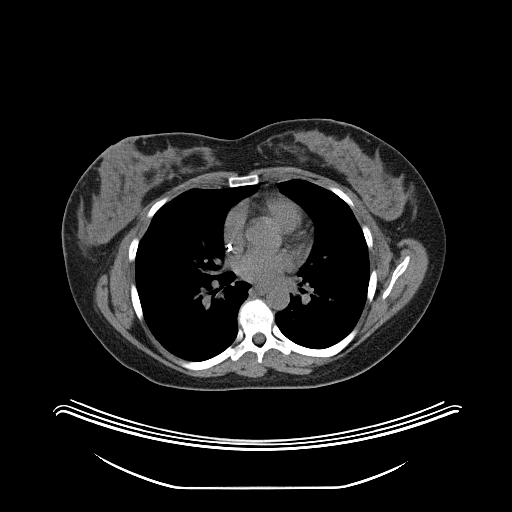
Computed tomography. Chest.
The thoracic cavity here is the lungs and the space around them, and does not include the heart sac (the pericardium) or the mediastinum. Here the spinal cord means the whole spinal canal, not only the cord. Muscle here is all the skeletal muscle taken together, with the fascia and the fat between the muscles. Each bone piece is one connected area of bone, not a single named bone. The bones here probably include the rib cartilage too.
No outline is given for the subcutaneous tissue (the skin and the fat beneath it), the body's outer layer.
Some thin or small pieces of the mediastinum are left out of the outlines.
The spinal cord is outlined by (256, 333) (261, 333) (262, 334) (263, 334) (264, 335) (264, 336) (265, 337) (265, 339) (264, 340) (264, 341) (263, 342) (263, 344) (261, 346) (260, 346) (259, 345) (257, 345) (253, 341) (253, 336). The pericardium is outlined by (259, 189) (278, 190) (298, 204) (307, 214) (311, 221) (313, 228) (313, 239) (309, 253) (303, 263) (297, 268) (298, 272) (291, 278) (280, 279) (275, 281) (250, 281) (240, 277) (226, 263) (226, 250) (223, 237) (226, 216) (233, 206) (245, 198) (257, 193). The muscle is outlined by (277, 166) (304, 169) (350, 189) (390, 239) (392, 250) (396, 249) (397, 242) (408, 237) (417, 239) (424, 245) (429, 258) (428, 268) (419, 288) (404, 307) (344, 356) (307, 374) (291, 374) (270, 368) (259, 377) (234, 372) (211, 377) (185, 374) (142, 351) (111, 325) (96, 306) (95, 287) (100, 275) (113, 263) (121, 239) (135, 224) (142, 208) (190, 178) (213, 171) (233, 171) (239, 175) (228, 176) (227, 185) (193, 187) (171, 199) (164, 196) (148, 209) (146, 217) (150, 220) (144, 233) (140, 239) (133, 237) (127, 250) (128, 260) (134, 262) (134, 282) (129, 286) (129, 293) (136, 317) (140, 321) (144, 320) (164, 348) (180, 358) (174, 361) (178, 365) (192, 371) (208, 369) (228, 358) (236, 361) (246, 352) (254, 353) (260, 364) (264, 354) (270, 349) (284, 355) (294, 352) (323, 358) (342, 351) (355, 338) (358, 332) (355, 326) (366, 301) (370, 303) (373, 300) (377, 289) (377, 271) (375, 268) (370, 270) (369, 250) (374, 245) (371, 230) (364, 223) (360, 225) (352, 210) (354, 202) (337, 186) (324, 187) (303, 178) (261, 181) (258, 173) (249, 173) (254, 169) with a hole at (407, 255) (409, 256) (409, 262) (407, 265) (407, 267) (405, 269) (405, 270) (396, 279) (393, 284) (393, 286) (389, 294) (384, 299) (382, 299) (382, 294) (384, 290) (388, 286) (390, 282) (391, 276) (394, 269) (396, 267) (396, 266) (399, 263) (400, 263). The thoracic cavity appears in 2 outlined pieces: piece 1: (257, 184) (258, 188) (254, 193) (228, 210) (223, 223) (223, 263) (235, 274) (236, 280) (250, 285) (247, 297) (237, 312) (236, 335) (228, 346) (209, 358) (183, 359) (160, 343) (144, 319) (135, 283) (135, 260) (140, 240) (156, 212) (168, 201) (187, 190); piece 2: (289, 179) (303, 179) (317, 184) (345, 202) (361, 228) (368, 250) (370, 271) (361, 313) (354, 327) (344, 337) (323, 348) (308, 347) (293, 341) (275, 321) (275, 314) (290, 302) (292, 287) (300, 279) (298, 270) (310, 253) (315, 234) (308, 214) (282, 193) (277, 185). The mediastinum is outlined by (236, 274) (240, 278) (250, 282) (275, 282) (280, 280) (291, 279) (296, 275) (299, 279) (291, 287) (291, 292) (289, 294) (289, 302) (287, 306) (285, 308) (274, 313) (261, 298) (258, 297) (247, 298) (248, 297) (248, 291) (251, 285) (247, 281) (241, 279) (236, 279). The bones appear in 9 outlined pieces: piece 1: (255, 298) (268, 306) (280, 331) (301, 346) (323, 349) (355, 327) (357, 332) (342, 350) (331, 356) (294, 351) (284, 354) (270, 348) (260, 363) (254, 352) (246, 351) (236, 360) (228, 357) (205, 369) (188, 369) (175, 361) (203, 361) (222, 352) (237, 335) (241, 305) with a hole at (256, 333) (261, 333) (262, 334) (263, 334) (264, 335) (264, 336) (265, 337) (265, 339) (264, 340) (264, 341) (263, 342) (263, 344) (261, 346) (260, 346) (259, 345) (257, 345) (253, 341) (253, 336); piece 2: (254, 173) (256, 174) (258, 174) (260, 177) (260, 181) (256, 184) (250, 184) (249, 185) (242, 185) (241, 186) (234, 186) (233, 187) (228, 186) (227, 184) (227, 179) (228, 177) (230, 176) (242, 176) (243, 175) (247, 175) (248, 174) (253, 174); piece 3: (407, 255) (409, 256) (409, 262) (407, 265) (407, 267) (405, 269) (405, 270) (396, 279) (393, 284) (393, 286) (389, 294) (384, 299) (382, 299) (382, 294) (384, 290) (388, 286) (390, 282) (391, 276) (394, 269) (396, 267) (396, 266) (399, 263) (400, 263); piece 4: (132, 283) (134, 283) (135, 284) (135, 286) (137, 290) (137, 293) (138, 294) (139, 301) (141, 305) (141, 309) (143, 313) (143, 319) (142, 320) (140, 320) (137, 317) (136, 313) (134, 310) (133, 305) (132, 304) (132, 301) (131, 300) (131, 294) (130, 293) (130, 286); piece 5: (373, 269) (375, 269) (375, 270) (376, 271) (376, 275) (377, 276) (377, 283) (376, 284) (376, 289) (375, 290) (375, 292) (374, 293) (373, 298) (370, 302) (368, 302) (367, 301) (367, 290) (368, 289) (368, 285) (369, 284) (369, 278) (370, 277) (370, 272); piece 6: (329, 186) (334, 186) (342, 190) (351, 199) (351, 200) (354, 204) (354, 206) (352, 208) (351, 208) (348, 205) (348, 204) (339, 196) (338, 196) (335, 193) (334, 193) (332, 191) (328, 189) (327, 187); piece 7: (135, 237) (137, 237) (139, 239) (139, 242) (138, 243) (138, 245) (137, 246) (137, 249) (136, 250) (136, 254) (135, 255) (135, 259) (134, 260) (134, 261) (131, 262) (129, 260) (129, 259) (128, 258) (128, 250) (129, 249) (129, 245) (130, 244) (132, 239); piece 8: (164, 197) (168, 197) (169, 198) (169, 200) (168, 200) (163, 205) (162, 205) (155, 212) (155, 213) (152, 216) (152, 217) (151, 218) (148, 218) (147, 217) (147, 213) (148, 212) (149, 209) (152, 206) (152, 205) (155, 202) (156, 202) (158, 200) (159, 200); piece 9: (364, 224) (366, 225) (369, 228) (370, 230) (370, 232) (371, 233) (371, 235) (372, 236) (372, 241) (373, 242) (373, 245) (371, 249) (368, 249) (368, 247) (366, 243) (366, 240) (365, 239) (365, 237) (364, 236) (364, 234) (363, 233) (363, 231) (361, 227) (361, 226). The torso is outlined by (295, 118) (331, 118) (357, 125) (401, 152) (424, 179) (442, 217) (446, 253) (439, 282) (420, 320) (399, 345) (369, 369) (318, 387) (180, 389) (154, 383) (121, 364) (86, 325) (67, 281) (61, 223) (79, 177) (109, 145) (128, 136) (191, 132) (235, 139) (270, 123).